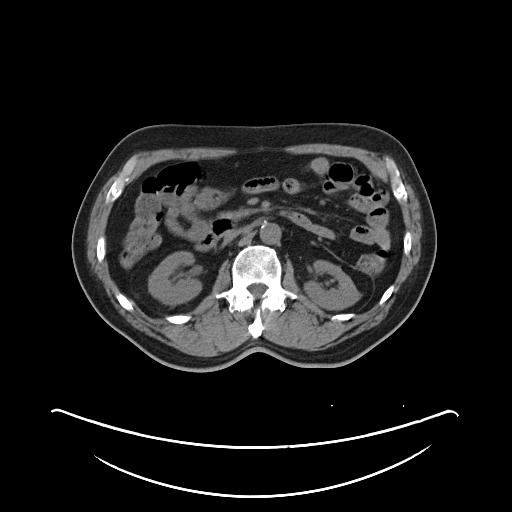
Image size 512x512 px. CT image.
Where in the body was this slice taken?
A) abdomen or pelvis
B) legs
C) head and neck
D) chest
A) abdomen or pelvis
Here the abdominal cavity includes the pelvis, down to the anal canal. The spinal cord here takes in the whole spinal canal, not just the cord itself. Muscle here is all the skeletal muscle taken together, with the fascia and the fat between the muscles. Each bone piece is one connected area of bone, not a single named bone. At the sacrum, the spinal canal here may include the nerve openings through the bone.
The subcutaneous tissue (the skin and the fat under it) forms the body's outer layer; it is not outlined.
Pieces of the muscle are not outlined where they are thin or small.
The abdominal cavity is outlined by (257, 152) (352, 157) (389, 184) (404, 225) (392, 283) (365, 311) (331, 314) (302, 293) (290, 260) (282, 265) (273, 247) (250, 244) (237, 252) (231, 265) (222, 262) (210, 292) (193, 309) (164, 317) (148, 315) (110, 273) (106, 227) (114, 202) (128, 183) (156, 163). The muscle appears in 2 outlined pieces: piece 1: (306, 143) (338, 144) (391, 155) (401, 166) (417, 197) (422, 230) (418, 263) (387, 315) (377, 325) (316, 351) (285, 347) (260, 337) (265, 328) (262, 313) (266, 309) (270, 312) (283, 312) (287, 298) (298, 298) (296, 293) (282, 286) (283, 265) (287, 260) (293, 267) (295, 281) (301, 293) (318, 308) (330, 314) (331, 321) (347, 321) (356, 314) (365, 312) (378, 301) (380, 306) (387, 301) (395, 290) (393, 282) (402, 254) (407, 257) (410, 255) (413, 239) (411, 232) (405, 230) (400, 205) (408, 202) (408, 193) (393, 158) (388, 155) (384, 157) (390, 184) (352, 156) (287, 151) (257, 151) (203, 160) (166, 159) (150, 165) (129, 182) (129, 175) (137, 162) (136, 156) (132, 155) (140, 150) (190, 147) (238, 149); piece 2: (125, 162) (105, 194) (104, 203) (113, 203) (105, 236) (101, 234) (97, 238) (95, 247) (97, 261) (101, 263) (105, 256) (110, 276) (119, 289) (114, 293) (118, 303) (132, 312) (134, 302) (150, 317) (185, 324) (192, 318) (186, 313) (211, 292) (220, 266) (228, 261) (231, 285) (216, 292) (214, 297) (224, 299) (230, 313) (253, 313) (247, 326) (252, 339) (219, 355) (189, 355) (133, 327) (110, 303) (87, 260) (87, 231) (99, 192). The spinal cord is outlined by (255, 283) (261, 283) (262, 284) (263, 284) (264, 285) (265, 285) (266, 286) (266, 289) (264, 291) (264, 292) (260, 296) (260, 298) (259, 299) (256, 299) (256, 298) (249, 291) (249, 290) (248, 289) (248, 287) (251, 284) (254, 284). The torso is outlined by (320, 121) (362, 123) (389, 132) (409, 152) (427, 191) (437, 231) (435, 260) (418, 303) (395, 331) (357, 359) (337, 367) (298, 367) (266, 353) (253, 352) (225, 368) (194, 372) (153, 359) (96, 312) (74, 269) (72, 230) (88, 186) (124, 136) (159, 123) (272, 125). The bones appear in 9 outlined pieces: piece 1: (250, 245) (264, 245) (275, 250) (282, 266) (281, 286) (297, 295) (295, 299) (287, 297) (284, 300) (283, 311) (266, 308) (261, 313) (264, 328) (257, 338) (248, 331) (254, 318) (252, 311) (230, 312) (229, 303) (215, 297) (216, 293) (231, 287) (232, 262) (240, 250); inner edge: (255, 283) (261, 283) (262, 284) (263, 284) (264, 285) (265, 285) (266, 286) (266, 289) (264, 291) (264, 292) (260, 296) (260, 298) (259, 299) (256, 299) (256, 298) (249, 291) (249, 290) (248, 289) (248, 287) (251, 284) (254, 284); piece 2: (132, 156) (135, 156) (136, 158) (136, 162) (133, 169) (128, 175) (129, 177) (129, 180) (128, 182) (124, 186) (120, 195) (113, 202) (111, 202) (110, 203) (105, 203) (105, 197) (109, 188) (111, 186) (115, 178) (118, 175) (119, 172) (122, 169) (126, 162); piece 3: (386, 156) (388, 156) (393, 159) (399, 171) (399, 175) (400, 176) (400, 178) (405, 187) (405, 189) (407, 193) (407, 202) (406, 203) (400, 203) (396, 199) (392, 191) (392, 187) (391, 186) (391, 182) (390, 181) (390, 174) (386, 168) (386, 166) (385, 165) (385, 157); piece 4: (101, 235) (103, 235) (105, 237) (105, 255) (104, 256) (104, 258) (103, 259) (103, 260) (101, 262) (99, 262) (98, 261) (98, 260) (97, 259) (97, 255) (96, 254) (96, 247) (97, 246) (97, 240) (98, 239) (98, 238); piece 5: (117, 290) (119, 290) (123, 294) (124, 294) (131, 301) (132, 301) (132, 305) (133, 306) (133, 310) (132, 311) (129, 311) (128, 310) (127, 310) (126, 309) (125, 309) (119, 303) (119, 302) (117, 300) (117, 299) (115, 296) (115, 293); piece 6: (176, 314) (185, 314) (186, 315) (190, 315) (191, 316) (191, 318) (188, 321) (187, 321) (185, 323) (182, 323) (181, 324) (176, 324) (175, 323) (172, 323) (171, 322) (170, 322) (169, 321) (168, 321) (165, 318) (165, 317) (166, 316) (167, 316) (168, 315) (175, 315); piece 7: (405, 231) (409, 231) (410, 232) (410, 233) (412, 236) (412, 239) (411, 240) (411, 248) (410, 249) (410, 252) (409, 253) (409, 255) (408, 255) (407, 256) (406, 255) (405, 255) (403, 252) (403, 237) (404, 236) (404, 233) (405, 232); piece 8: (341, 313) (354, 313) (355, 314) (355, 315) (353, 317) (352, 317) (351, 318) (350, 318) (349, 319) (348, 319) (347, 320) (344, 320) (343, 321) (340, 321) (339, 320) (331, 320) (330, 319) (330, 317) (332, 315) (334, 315) (335, 314) (340, 314); piece 9: (391, 284) (393, 284) (394, 285) (394, 290) (392, 292) (392, 293) (391, 294) (391, 295) (386, 300) (386, 301) (383, 304) (382, 304) (381, 305) (380, 305) (379, 304) (379, 300) (380, 299) (380, 298) (381, 297) (381, 296) (383, 294) (383, 293) (384, 292) (384, 291).